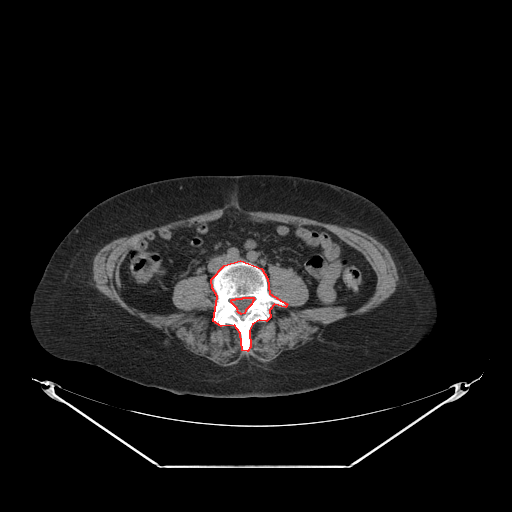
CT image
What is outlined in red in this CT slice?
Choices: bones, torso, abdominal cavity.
red: bones.
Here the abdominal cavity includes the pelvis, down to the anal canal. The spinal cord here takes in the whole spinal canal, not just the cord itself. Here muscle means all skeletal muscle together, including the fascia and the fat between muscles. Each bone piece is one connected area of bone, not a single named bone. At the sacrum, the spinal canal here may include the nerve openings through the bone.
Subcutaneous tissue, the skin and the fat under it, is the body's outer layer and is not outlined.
{"bones":[{"outer":[[240,260],[261,268],[267,278],[269,293],[287,304],[285,307],[274,304],[269,310],[270,317],[266,321],[259,320],[252,324],[249,330],[250,347],[247,351],[242,350],[240,333],[234,325],[221,326],[213,321],[217,296],[212,288],[211,279],[224,265]],"hole":[[243,297],[253,297],[253,298],[254,299],[252,301],[251,304],[245,310],[244,313],[241,314],[240,313],[239,313],[237,311],[238,310],[237,309],[237,308],[231,302],[231,300],[232,299],[235,299],[236,298],[242,298]]}],"spinal_cord":[[[243,297],[253,297],[253,298],[254,299],[252,301],[251,304],[245,310],[244,313],[241,314],[240,313],[239,313],[237,311],[238,310],[237,309],[237,308],[231,302],[231,300],[232,299],[235,299],[236,298],[242,298]]],"abdominal_cavity":[[[228,211],[326,229],[369,263],[376,277],[372,295],[352,310],[302,307],[310,293],[291,267],[270,264],[267,277],[256,263],[240,259],[224,264],[210,283],[205,274],[177,281],[171,300],[179,311],[156,313],[130,303],[122,295],[120,267],[139,240]]],"muscle":[{"outer":[[231,204],[232,205],[238,205],[242,209],[247,211],[275,212],[276,213],[284,213],[290,215],[306,217],[324,223],[330,223],[342,227],[351,227],[352,228],[359,229],[367,233],[369,235],[374,237],[378,241],[383,244],[383,245],[389,251],[394,261],[398,273],[398,282],[395,291],[379,306],[363,314],[346,317],[330,324],[328,324],[323,329],[319,337],[308,341],[305,344],[300,346],[296,349],[284,351],[279,356],[270,362],[263,363],[262,362],[259,362],[253,358],[247,359],[244,357],[239,362],[233,365],[230,366],[220,366],[202,356],[199,356],[192,353],[190,351],[187,350],[184,347],[183,344],[178,339],[176,338],[169,338],[168,336],[160,329],[158,329],[143,321],[141,319],[130,314],[122,307],[101,293],[94,286],[93,276],[92,275],[93,259],[97,252],[104,245],[117,238],[123,237],[124,236],[130,236],[135,233],[138,233],[141,231],[153,227],[161,226],[180,219],[191,217],[214,209],[221,208],[225,205],[230,205]],"hole":[[228,211],[326,229],[369,263],[372,295],[352,310],[302,307],[310,296],[304,280],[270,264],[268,291],[287,305],[274,304],[266,321],[252,324],[247,351],[234,325],[213,321],[217,296],[205,274],[173,286],[179,311],[130,303],[120,267],[139,240]]}],"torso":[[[200,174],[302,176],[339,185],[374,202],[398,227],[434,288],[438,315],[432,332],[406,352],[349,379],[307,392],[270,397],[179,395],[47,352],[34,336],[29,310],[33,292],[44,269],[65,235],[91,208],[112,195],[157,180]]]}